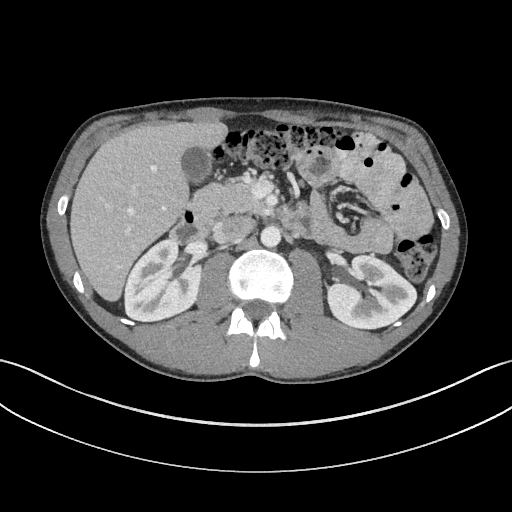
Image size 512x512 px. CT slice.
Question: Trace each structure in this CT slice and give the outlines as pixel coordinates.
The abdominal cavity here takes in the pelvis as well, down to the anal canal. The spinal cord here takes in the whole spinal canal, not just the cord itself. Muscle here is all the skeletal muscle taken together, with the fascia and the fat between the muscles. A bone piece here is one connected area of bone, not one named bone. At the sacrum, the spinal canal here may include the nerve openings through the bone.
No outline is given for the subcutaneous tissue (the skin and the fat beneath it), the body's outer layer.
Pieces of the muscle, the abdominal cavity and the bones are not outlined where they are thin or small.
Answer: muscle: 283,378 303,378 304,377 315,377 320,375 340,374 344,372 349,372 362,368 380,357 415,330 438,304 438,302 443,295 445,288 451,278 455,267 455,263 459,250 459,223 454,205 450,198 450,195 446,188 431,150 423,136 414,128 405,124 397,121 393,121 389,119 384,119 380,117 370,115 360,115 353,113 345,114 338,112 317,111 309,109 302,109 301,110 299,109 293,109 292,110 289,109 269,109 263,111 232,111 215,107 205,107 204,106 190,108 185,110 168,110 167,111 165,110 156,111 155,110 144,112 140,114 119,114 118,115 107,116 94,121 86,127 70,149 56,181 49,202 47,212 47,229 50,244 54,253 54,257 63,278 71,287 72,290 75,293 76,297 83,305 90,316 108,333 123,342 144,358 160,366 163,366 178,372 214,375 215,374 230,373 245,369 254,369 259,371 267,372 276,377 282,377; inner edges: 251,367 259,363 258,337 286,338 276,308 293,286 292,249 308,251 320,265 326,314 379,331 400,325 418,303 448,214 433,206 395,143 365,128 247,115 136,126 106,139 87,158 72,193 57,202 79,269 75,288 84,292 83,278 94,299 126,324 162,321 196,307 205,261 228,251 234,257 228,285 238,304 226,335 253,338, then 425,302 428,302 430,300 431,300 432,299 432,298 434,296 434,295 435,294 435,286 434,285 434,284 431,284 429,286 429,288 428,289 428,291 427,292 427,294 426,295 426,297 425,298
spinal cord: 258,321 260,321 264,319 270,313 273,308 273,305 271,303 269,303 266,301 264,301 260,299 254,299 253,300 246,300 245,301 243,301 242,302 242,307 244,310 244,312 245,313 246,317 251,320 257,320
torso: 283,384 325,383 378,368 416,341 449,302 463,269 468,227 457,188 431,136 413,119 396,113 333,100 290,96 172,99 107,109 86,118 60,153 40,207 43,253 63,297 103,340 152,371 186,381 256,376
abdominal cavity: 371,331 415,307 439,253 435,208 393,141 365,128 247,115 136,126 87,158 66,210 68,233 82,279 112,313 142,323 168,319 196,307 203,265 214,253 234,259 265,248 287,260 300,248 320,265 325,313
bones 1: 251,367 256,367 259,363 258,337 286,338 276,308 287,300 293,286 293,274 287,261 280,254 265,249 244,252 233,261 227,277 229,289 238,304 231,312 226,335 243,332 253,338 253,349 249,358, around a hole outlined by 258,321 260,321 264,319 270,313 273,308 273,305 271,303 269,303 266,301 264,301 260,299 254,299 253,300 246,300 245,301 243,301 242,302 242,307 244,310 244,312 245,313 246,317 251,320 257,320
bones 2: 444,229 448,229 449,228 450,226 450,219 446,211 444,209 440,207 438,207 436,208 436,214 438,218 440,220 440,222 441,223 441,225 442,227
bones 3: 59,215 62,215 63,214 64,214 64,213 65,212 65,210 67,207 67,204 68,203 68,201 69,200 69,198 70,197 70,192 66,192 62,195 61,195 61,196 59,198 59,199 57,202 57,212